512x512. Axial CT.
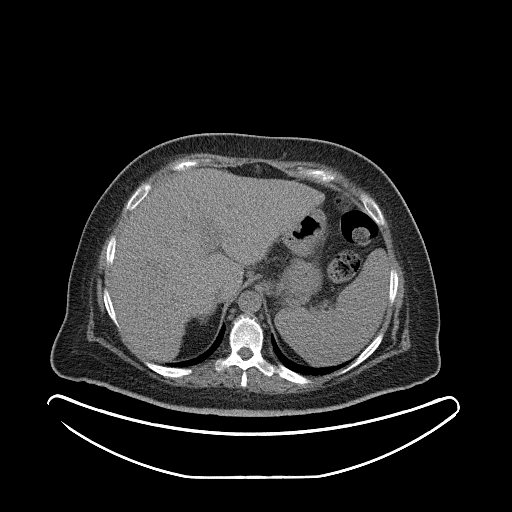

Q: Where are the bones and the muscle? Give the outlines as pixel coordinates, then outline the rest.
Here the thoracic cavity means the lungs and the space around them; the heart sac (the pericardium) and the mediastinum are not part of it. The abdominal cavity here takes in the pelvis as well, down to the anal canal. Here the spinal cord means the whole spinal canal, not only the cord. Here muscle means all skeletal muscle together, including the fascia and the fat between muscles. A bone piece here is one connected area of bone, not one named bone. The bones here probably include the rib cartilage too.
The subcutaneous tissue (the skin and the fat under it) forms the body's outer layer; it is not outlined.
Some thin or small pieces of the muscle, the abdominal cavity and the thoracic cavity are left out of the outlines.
A: {"bones":[{"outer":[[242,314],[255,317],[261,325],[264,332],[262,352],[266,358],[271,360],[272,353],[288,369],[311,382],[299,384],[276,373],[268,376],[251,366],[246,370],[246,386],[242,387],[242,370],[238,366],[217,371],[214,361],[230,351],[228,341],[233,321]],"hole":[[241,348],[247,348],[248,349],[249,349],[251,351],[251,352],[252,353],[252,354],[251,355],[251,356],[250,357],[249,357],[247,359],[243,359],[241,357],[241,356],[238,353],[238,352],[239,351],[239,350]]},[[144,361],[149,361],[150,362],[152,362],[159,365],[167,366],[168,367],[172,367],[173,368],[191,368],[192,369],[192,372],[189,374],[187,374],[180,377],[168,377],[167,376],[163,376],[155,372],[153,370],[150,369],[147,366],[146,366],[144,364]],[[362,194],[366,194],[367,195],[368,195],[370,197],[371,197],[377,203],[377,204],[383,215],[383,217],[384,218],[384,220],[385,221],[385,224],[384,225],[381,225],[380,226],[379,226],[364,209],[364,206],[360,199],[360,196]],[[299,166],[303,167],[304,168],[322,169],[323,170],[330,171],[335,175],[335,178],[332,181],[330,181],[329,182],[325,182],[324,183],[318,182],[317,181],[315,181],[312,179],[310,179],[300,174],[298,172],[298,170],[297,169],[297,168]],[[381,332],[383,333],[383,337],[382,338],[382,340],[381,342],[376,348],[376,349],[367,358],[366,358],[358,365],[350,369],[348,371],[344,373],[339,373],[340,371],[342,370],[342,369],[348,366],[365,349],[365,348],[374,339],[374,338],[379,333]],[[146,182],[149,182],[151,184],[151,186],[152,187],[151,189],[148,192],[147,195],[131,211],[129,210],[126,210],[125,209],[125,207],[131,195],[134,192],[136,188],[139,185],[140,185],[142,183],[145,183]],[[202,158],[209,158],[210,159],[210,161],[209,162],[207,162],[206,163],[201,162],[199,165],[189,167],[187,169],[185,169],[184,170],[179,170],[178,171],[176,171],[171,169],[171,166],[176,162],[179,162],[182,160],[192,160],[193,159],[201,159]],[[391,268],[394,268],[395,269],[395,270],[397,272],[397,274],[398,275],[398,283],[397,284],[397,291],[396,292],[396,294],[395,295],[395,298],[394,299],[394,301],[392,304],[390,304],[390,303],[389,302],[389,280],[390,279],[390,269]],[[105,288],[106,288],[109,292],[109,295],[112,302],[112,305],[115,312],[115,315],[116,316],[116,318],[117,319],[117,321],[119,324],[119,327],[120,328],[118,328],[115,325],[113,321],[108,315],[108,313],[106,310],[105,304],[103,300],[103,291]],[[111,235],[114,235],[115,236],[116,238],[116,245],[115,246],[115,253],[114,254],[114,257],[113,258],[113,262],[111,264],[111,265],[109,265],[108,266],[107,265],[107,262],[106,261],[106,250],[107,249],[107,245],[108,244],[108,242]]],"muscle":[[[127,200],[124,209],[130,213],[119,237],[117,241],[116,236],[111,234],[106,245],[105,261],[108,267],[111,266],[111,270],[109,291],[106,287],[103,289],[102,300],[107,315],[114,325],[148,360],[144,360],[143,364],[155,373],[168,378],[189,375],[193,372],[190,367],[208,359],[222,343],[227,343],[229,351],[213,361],[214,369],[220,372],[231,366],[238,367],[241,370],[240,386],[242,388],[247,386],[247,370],[251,367],[255,367],[268,377],[276,374],[290,382],[306,385],[312,382],[306,376],[322,376],[340,369],[338,373],[344,374],[358,366],[382,342],[384,333],[379,332],[386,316],[388,303],[390,305],[394,303],[398,291],[399,275],[394,267],[390,268],[388,251],[380,230],[380,227],[386,224],[380,208],[389,223],[397,258],[404,272],[405,296],[402,311],[405,311],[407,304],[408,307],[411,343],[409,349],[388,357],[340,383],[301,393],[270,395],[245,390],[237,391],[234,388],[225,387],[192,388],[171,385],[151,377],[99,343],[88,341],[86,337],[90,313],[91,280],[103,243]],[[199,152],[230,157],[259,157],[284,161],[315,161],[323,163],[341,172],[371,196],[362,193],[359,196],[360,202],[343,187],[328,183],[332,182],[336,175],[332,171],[322,168],[299,165],[296,168],[297,172],[305,177],[299,177],[290,175],[262,162],[245,163],[237,166],[200,165],[201,163],[209,163],[211,161],[209,157],[176,161],[170,166],[170,169],[175,171],[154,187],[149,181],[140,184],[170,160],[184,154]]],"spinal_cord":[[[241,348],[247,348],[248,349],[249,349],[251,351],[251,352],[252,353],[252,354],[251,355],[251,356],[250,357],[249,357],[247,359],[243,359],[241,357],[241,356],[238,353],[238,352],[239,351],[239,350]]],"abdominal_cavity":[[[256,163],[343,188],[379,227],[389,279],[387,309],[378,333],[352,361],[325,367],[296,363],[282,353],[269,329],[262,294],[247,286],[229,306],[225,324],[205,351],[164,365],[150,361],[128,341],[110,295],[116,246],[128,217],[152,188],[174,172]]],"torso":[[[216,132],[331,141],[361,153],[387,174],[415,221],[433,272],[440,314],[438,347],[441,361],[434,376],[412,387],[339,409],[250,417],[178,411],[56,374],[50,363],[50,353],[66,311],[72,262],[83,227],[95,203],[116,175],[147,149],[180,136]]],"mediastinum":[[[247,287],[252,288],[261,294],[268,329],[271,333],[269,338],[270,346],[265,343],[265,332],[262,324],[258,319],[253,315],[251,316],[243,313],[232,321],[228,340],[227,342],[223,343],[226,332],[226,323],[228,320],[228,310],[238,296],[238,294]]],"thoracic_cavity":[[[271,335],[281,353],[286,358],[296,364],[299,364],[302,366],[308,366],[311,368],[325,368],[330,366],[337,366],[348,361],[351,361],[351,362],[345,367],[340,368],[326,374],[322,375],[303,375],[288,368],[278,360],[275,356],[270,344]],[[223,324],[225,325],[225,332],[224,333],[224,336],[222,342],[217,349],[208,358],[199,363],[194,364],[189,367],[173,367],[172,366],[165,365],[168,363],[181,362],[182,361],[189,360],[195,358],[205,352],[212,345],[212,344],[214,343]]]}